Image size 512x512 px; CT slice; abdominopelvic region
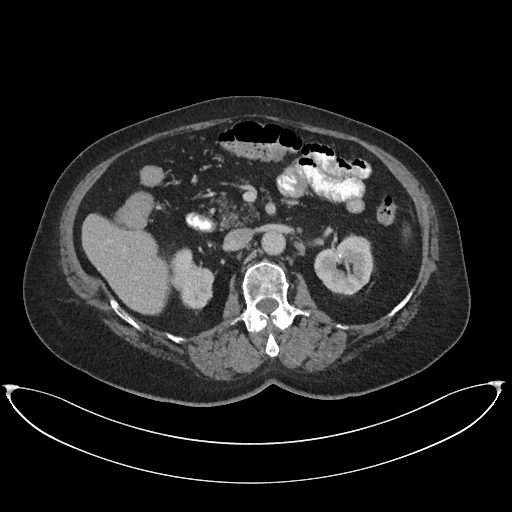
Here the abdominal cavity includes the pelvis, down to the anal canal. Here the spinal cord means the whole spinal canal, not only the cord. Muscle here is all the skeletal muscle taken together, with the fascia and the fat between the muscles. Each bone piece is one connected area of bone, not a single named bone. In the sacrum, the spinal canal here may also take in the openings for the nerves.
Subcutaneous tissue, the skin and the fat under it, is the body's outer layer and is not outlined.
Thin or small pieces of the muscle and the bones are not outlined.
The abdominal cavity is outlined by 246,117 355,142 403,186 421,228 421,261 412,286 385,315 337,322 318,308 301,273 286,274 263,259 248,266 241,281 235,273 230,277 221,321 184,337 134,319 82,265 74,243 78,208 115,160 160,138. The muscle is outlined by 245,113 259,113 277,116 295,121 301,121 314,126 340,131 358,137 362,140 378,146 400,161 411,172 417,179 420,185 424,188 429,196 435,210 438,222 439,258 436,262 437,266 436,270 430,275 427,284 418,298 420,300 420,303 418,306 417,313 405,328 401,331 398,331 393,337 387,339 384,342 376,343 372,345 367,349 361,351 356,357 345,363 340,363 334,368 327,368 325,370 310,373 300,372 295,369 290,369 286,367 277,359 275,359 272,361 268,360 266,361 254,371 244,374 239,379 236,380 229,381 208,380 200,376 197,376 195,374 195,372 189,368 185,368 177,363 163,359 160,357 155,357 149,353 131,345 116,335 100,318 102,314 101,312 97,308 88,304 76,294 65,279 65,276 60,263 60,253 59,252 60,219 65,204 73,190 91,169 115,153 155,133 165,131 182,125 187,125 201,121 229,117, around a hole outlined by 246,117 355,142 403,186 421,228 421,261 413,293 391,317 337,328 318,308 302,274 291,271 285,277 288,302 310,314 296,315 282,330 272,328 279,350 271,357 265,351 265,328 250,332 242,320 230,324 246,307 241,278 235,273 221,321 180,343 136,319 141,328 136,329 112,308 113,296 82,265 74,243 74,222 87,192 115,160 137,147. The spinal cord is outlined by 267,298 270,298 271,299 274,299 277,302 277,303 278,304 277,307 269,313 266,313 265,312 263,312 262,311 259,310 256,306 256,305 258,302 259,302 263,299 266,299. The torso is outlined by 229,95 289,99 367,123 409,145 433,170 459,225 471,308 460,338 431,365 357,396 317,399 271,384 239,401 196,407 142,397 109,385 66,363 38,338 24,308 23,271 50,191 65,167 88,145 112,131. The bones appear in 4 outlined pieces: piece 1: 263,260 275,263 283,269 289,285 288,302 310,313 308,316 296,315 292,323 282,330 275,326 272,328 279,348 274,357 265,351 268,336 265,328 250,332 242,320 230,324 230,321 246,307 241,288 245,271, around a hole outlined by 267,298 270,298 271,299 274,299 277,302 277,303 278,304 277,307 269,313 266,313 265,312 263,312 262,311 259,310 256,306 256,305 258,302 259,302 263,299 266,299; piece 2: 111,298 115,299 121,306 121,307 130,316 131,316 132,318 133,318 133,319 140,326 141,330 138,330 136,329 133,326 132,326 130,324 129,324 127,322 123,320 115,312 115,311 112,308 110,304 110,299; piece 3: 413,287 414,287 414,290 413,291 413,293 411,295 410,298 408,300 408,301 405,304 405,305 404,305 391,317 389,317 387,315 387,314 398,303 399,303 403,299 403,298 408,293 408,292 410,290 410,289; piece 4: 164,332 169,332 170,333 171,333 176,336 180,336 181,337 183,337 184,338 185,338 186,339 186,340 183,342 181,342 180,343 177,343 176,342 175,342 174,341 171,340 169,338 168,338 164,334.